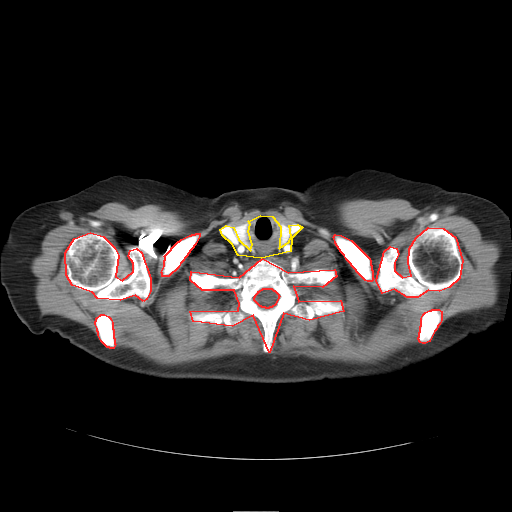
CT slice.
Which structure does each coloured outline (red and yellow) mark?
red: bones; yellow: middle of the neck.
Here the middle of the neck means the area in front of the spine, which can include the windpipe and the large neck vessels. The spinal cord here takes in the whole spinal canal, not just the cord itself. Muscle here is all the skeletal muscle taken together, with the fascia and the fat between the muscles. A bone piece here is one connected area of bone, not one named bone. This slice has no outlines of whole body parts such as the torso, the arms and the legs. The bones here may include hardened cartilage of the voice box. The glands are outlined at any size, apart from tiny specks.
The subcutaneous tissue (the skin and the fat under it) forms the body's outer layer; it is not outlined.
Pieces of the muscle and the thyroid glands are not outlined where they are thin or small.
The bones appear in 7 outlined pieces: piece 1: [[262,258],[288,272],[334,269],[336,276],[322,287],[293,286],[298,301],[340,300],[343,311],[309,320],[283,313],[269,352],[253,315],[232,326],[193,321],[190,311],[238,310],[239,303],[234,290],[202,290],[190,280],[191,271],[239,277]], around a hole outlined by [[263,288],[271,288],[273,290],[274,290],[278,294],[278,295],[279,296],[278,297],[275,304],[271,307],[269,307],[268,308],[266,308],[265,307],[262,307],[261,306],[260,306],[254,300],[254,297],[255,296],[255,295],[258,292],[258,291],[259,291]]; piece 2: [[428,227],[443,228],[455,237],[462,260],[459,278],[449,287],[439,291],[428,290],[417,297],[407,297],[394,289],[382,293],[376,280],[384,251],[390,246],[396,248],[398,254],[394,262],[394,270],[402,277],[411,275],[408,263],[409,248],[416,237]]; piece 3: [[90,232],[103,236],[114,247],[118,255],[115,276],[122,280],[133,271],[133,263],[128,256],[130,250],[136,248],[141,252],[150,278],[150,291],[146,299],[143,301],[135,295],[120,300],[97,298],[92,292],[72,285],[66,275],[65,252],[74,238]]; piece 4: [[335,234],[341,235],[351,240],[369,258],[370,260],[370,264],[371,265],[371,269],[372,270],[372,277],[373,278],[371,281],[367,281],[365,280],[356,271],[356,270],[346,259],[344,255],[341,252],[335,243],[335,241],[333,237]]; piece 5: [[196,233],[199,233],[199,236],[195,244],[187,254],[187,255],[180,263],[178,267],[168,276],[162,276],[162,273],[161,272],[164,266],[164,260],[165,259],[165,257],[164,256],[178,241],[179,241],[181,239],[189,235],[191,235],[192,234],[195,234]]; piece 6: [[432,309],[438,309],[441,311],[441,320],[439,324],[437,326],[436,329],[434,331],[429,341],[425,343],[422,343],[420,342],[418,339],[418,337],[419,336],[419,332],[420,331],[420,326],[421,325],[421,318],[423,314],[425,312],[429,310],[431,310]]; piece 7: [[101,314],[104,314],[108,316],[110,318],[112,322],[112,328],[113,329],[113,337],[114,338],[114,343],[115,344],[113,348],[110,348],[109,347],[107,347],[101,341],[98,335],[98,332],[97,331],[97,328],[95,324],[95,321],[96,320],[96,318]]. The middle of the neck is outlined by [[260,215],[272,216],[280,226],[279,248],[289,241],[291,236],[289,225],[297,224],[302,227],[291,238],[290,251],[261,258],[238,255],[232,244],[222,235],[220,229],[226,225],[233,227],[238,239],[250,250],[252,244],[248,231],[250,224],[248,221]]. The muscle is outlined by [[353,198],[402,198],[412,204],[452,206],[501,248],[499,290],[491,307],[459,313],[437,329],[442,311],[429,309],[420,318],[417,337],[425,344],[375,364],[236,354],[162,366],[130,350],[111,349],[116,344],[108,315],[95,318],[99,339],[83,324],[59,315],[41,315],[35,299],[30,263],[63,212],[94,211],[108,202],[131,207],[161,204],[199,220],[231,201],[261,209],[288,201],[325,223],[333,219],[336,204]] with holes at [[260,215],[272,216],[279,225],[302,227],[291,238],[290,251],[268,259],[288,272],[326,268],[337,273],[322,287],[294,285],[300,293],[297,300],[345,303],[339,313],[315,315],[309,320],[290,311],[283,313],[276,323],[269,352],[263,350],[264,330],[253,315],[246,314],[232,326],[198,323],[188,317],[190,311],[239,309],[234,290],[218,287],[206,292],[192,283],[189,274],[242,276],[260,258],[238,255],[220,229]] and at [[428,227],[443,228],[455,237],[462,260],[459,278],[449,287],[439,291],[428,290],[417,297],[407,297],[394,289],[382,293],[376,280],[384,251],[390,246],[396,248],[398,254],[394,262],[394,270],[402,277],[411,275],[408,263],[409,248],[416,237]] and at [[90,232],[103,236],[114,247],[118,255],[115,276],[122,280],[133,271],[133,263],[128,256],[130,250],[136,248],[141,252],[150,278],[150,291],[146,299],[143,301],[135,295],[120,300],[97,298],[92,292],[72,285],[66,275],[65,252],[74,238]] and at [[335,234],[341,235],[351,240],[369,258],[370,260],[370,264],[371,265],[371,269],[372,270],[372,277],[373,278],[371,281],[367,281],[365,280],[356,271],[356,270],[346,259],[344,255],[341,252],[335,243],[335,241],[333,237]] and at [[196,233],[199,233],[199,236],[195,244],[187,254],[187,255],[180,263],[178,267],[168,276],[162,276],[162,273],[161,272],[164,266],[164,260],[165,259],[165,257],[164,256],[178,241],[179,241],[181,239],[189,235],[191,235],[192,234],[195,234]]. The thyroid glands appear in 2 outlined pieces: piece 1: [[246,221],[247,221],[249,223],[249,224],[248,225],[248,228],[247,229],[248,230],[247,231],[249,234],[249,241],[251,244],[251,248],[250,249],[248,247],[247,247],[239,239],[236,232],[234,230],[234,227],[233,226],[235,226],[236,225],[241,224]]; piece 2: [[281,224],[282,225],[285,225],[286,226],[287,226],[288,227],[289,227],[289,229],[290,230],[290,236],[288,239],[288,241],[284,245],[283,245],[282,246],[281,246],[280,247],[279,247],[279,245],[280,244],[280,241],[281,240],[281,226],[280,225]]. The spinal cord is outlined by [[263,288],[271,288],[273,290],[274,290],[278,294],[278,295],[279,296],[278,297],[275,304],[271,307],[269,307],[268,308],[266,308],[265,307],[262,307],[261,306],[260,306],[254,300],[254,297],[255,296],[255,295],[258,292],[258,291],[259,291]].